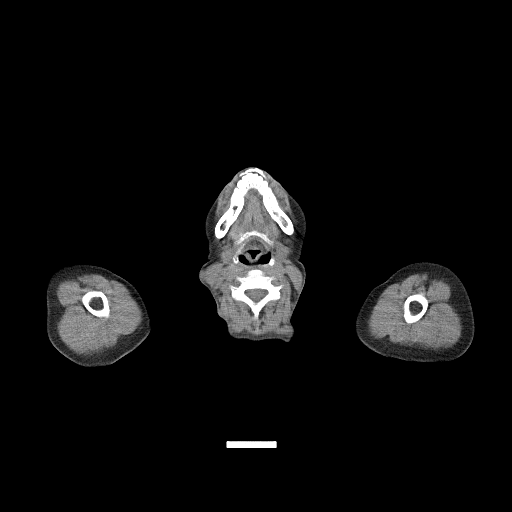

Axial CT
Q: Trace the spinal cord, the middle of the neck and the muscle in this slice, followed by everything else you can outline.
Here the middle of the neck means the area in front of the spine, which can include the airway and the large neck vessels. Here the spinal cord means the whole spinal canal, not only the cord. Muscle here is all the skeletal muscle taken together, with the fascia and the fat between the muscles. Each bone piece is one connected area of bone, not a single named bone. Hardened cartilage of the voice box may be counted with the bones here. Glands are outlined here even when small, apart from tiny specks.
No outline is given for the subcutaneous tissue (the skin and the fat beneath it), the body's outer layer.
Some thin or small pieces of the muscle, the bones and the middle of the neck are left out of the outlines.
A: Outlines:
spinal cord: [[252,289],[261,289],[262,290],[265,290],[266,291],[266,294],[262,298],[261,298],[258,301],[254,301],[252,299],[251,299],[245,293],[245,291],[246,291],[247,290],[251,290]]
middle of the neck: [[248,238],[259,238],[260,240],[265,242],[268,249],[271,253],[270,259],[268,261],[269,266],[263,268],[257,268],[255,267],[248,269],[247,268],[240,267],[239,265],[236,264],[239,262],[238,254],[242,251],[242,248],[243,247],[242,244],[243,242]]
muscle 1: [[237,177],[239,178],[231,192],[228,206],[214,225],[213,235],[216,239],[221,239],[236,220],[250,189],[256,190],[261,196],[262,204],[270,217],[285,234],[290,236],[295,232],[294,224],[280,206],[268,178],[286,195],[297,220],[291,258],[301,272],[302,281],[287,319],[289,328],[287,334],[254,335],[245,331],[234,331],[230,320],[222,313],[216,292],[204,279],[204,270],[216,257],[212,233],[215,211],[220,198]] with holes at [[253,230],[272,242],[266,245],[274,262],[260,269],[267,276],[274,276],[275,284],[282,285],[280,297],[262,307],[258,321],[253,319],[245,302],[232,297],[230,289],[230,285],[238,283],[235,277],[245,276],[249,270],[233,262],[238,249],[235,241]] and at [[226,246],[229,246],[232,249],[232,254],[231,255],[231,257],[227,261],[223,261],[220,258],[220,251],[221,250],[222,250]] and at [[279,244],[283,244],[286,247],[287,247],[288,248],[289,248],[289,249],[290,250],[290,251],[289,252],[289,253],[287,255],[286,255],[285,256],[282,256],[281,255],[280,255],[280,254],[276,250],[276,247]]
muscle 2: [[424,272],[433,272],[440,274],[450,284],[451,293],[455,301],[456,309],[461,317],[462,330],[458,340],[449,348],[434,350],[412,346],[404,346],[391,342],[388,339],[377,339],[371,336],[367,331],[367,319],[382,291],[389,285],[400,282],[411,274]], around a hole outlined by [[416,293],[423,293],[423,294],[425,296],[425,297],[428,301],[427,308],[425,312],[423,314],[423,315],[418,320],[412,323],[407,323],[405,321],[403,317],[403,304],[408,296],[412,294],[415,294]]
muscle 3: [[86,273],[100,274],[122,283],[129,290],[139,305],[143,316],[142,326],[140,328],[119,341],[114,347],[102,353],[91,356],[83,356],[71,350],[61,339],[57,330],[57,321],[60,316],[60,312],[55,290],[58,282],[66,278],[74,278],[78,275]] with a hole at [[90,290],[98,290],[99,291],[101,291],[106,296],[108,300],[109,308],[110,309],[110,313],[109,314],[109,316],[107,318],[105,318],[104,317],[99,317],[98,316],[94,315],[92,313],[88,311],[88,310],[84,306],[81,300],[81,297],[86,292]]
left arm: [[419,261],[431,261],[440,263],[453,270],[464,284],[471,301],[475,321],[474,336],[467,350],[462,355],[451,361],[417,362],[392,359],[370,350],[359,340],[356,335],[354,326],[356,314],[369,292],[375,286],[385,281],[401,267],[410,263]]
head and neck: [[246,166],[257,166],[269,172],[298,202],[306,218],[306,234],[300,258],[305,267],[306,279],[291,317],[295,335],[289,342],[230,337],[225,322],[217,314],[212,295],[198,276],[208,254],[208,242],[204,233],[206,214],[222,188],[236,172]]
submandibular glands 1: [[226,246],[229,246],[232,249],[232,254],[231,255],[231,257],[227,261],[223,261],[220,258],[220,251],[221,250],[222,250]]
submandibular glands 2: [[279,244],[283,244],[286,247],[287,247],[288,248],[289,248],[289,249],[290,250],[290,251],[289,252],[289,253],[287,255],[286,255],[285,256],[282,256],[281,255],[280,255],[280,254],[276,250],[276,247]]
bones 1: [[248,168],[259,168],[269,176],[268,184],[279,206],[293,224],[294,232],[292,234],[289,235],[281,229],[263,204],[262,196],[256,189],[250,188],[244,196],[241,210],[226,233],[221,238],[215,237],[215,225],[229,206],[232,192],[240,178],[238,174]]
bones 2: [[255,268],[262,270],[267,276],[274,276],[276,279],[273,282],[282,285],[280,297],[276,300],[268,301],[262,307],[258,321],[253,319],[253,313],[245,302],[235,300],[232,297],[230,289],[230,285],[238,283],[235,280],[236,276],[245,276],[250,269]] with a hole at [[252,289],[261,289],[262,290],[265,290],[266,291],[266,294],[262,298],[261,298],[258,301],[254,301],[252,299],[251,299],[245,293],[245,291],[246,291],[247,290],[251,290]]
bones 3: [[90,290],[98,290],[99,291],[101,291],[106,296],[108,300],[109,308],[110,309],[110,313],[109,314],[109,316],[107,318],[105,318],[104,317],[99,317],[98,316],[94,315],[92,313],[88,311],[88,310],[84,306],[81,300],[81,297],[86,292]]
bones 4: [[416,293],[423,293],[423,294],[425,296],[425,297],[428,301],[427,308],[425,312],[423,314],[423,315],[418,320],[412,323],[407,323],[405,321],[403,317],[403,304],[408,296],[412,294],[415,294]]
bones 5: [[253,230],[263,233],[272,242],[272,245],[267,243],[260,237],[252,235],[245,239],[242,242],[241,244],[242,245],[241,251],[237,254],[238,262],[234,263],[233,262],[233,256],[236,253],[239,247],[241,246],[235,244],[235,241],[245,232]]
right arm: [[78,263],[93,264],[104,267],[129,281],[139,292],[145,303],[150,317],[151,331],[149,335],[131,352],[115,362],[106,366],[84,367],[76,364],[60,353],[53,346],[47,336],[45,323],[46,322],[46,286],[48,280],[51,274],[58,268],[62,266]]